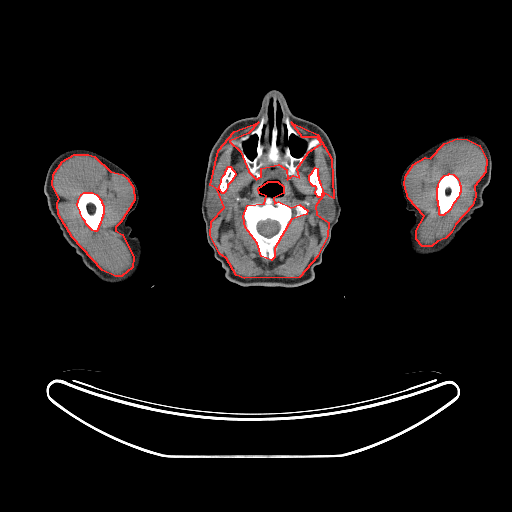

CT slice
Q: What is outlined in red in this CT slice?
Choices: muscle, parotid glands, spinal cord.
A: red: muscle.
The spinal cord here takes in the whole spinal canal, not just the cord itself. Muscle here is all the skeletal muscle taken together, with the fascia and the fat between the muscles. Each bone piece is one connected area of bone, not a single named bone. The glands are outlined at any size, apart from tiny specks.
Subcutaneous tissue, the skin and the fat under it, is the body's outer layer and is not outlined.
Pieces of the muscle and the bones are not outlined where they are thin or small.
The muscle appears in 3 outlined pieces: piece 1: 258 122; 248 133; 229 141; 240 151; 248 171; 256 179; 261 176; 261 168; 278 164; 286 169; 287 179; 293 175; 299 177; 297 168; 308 152; 321 143; 317 137; 302 137; 291 122; 317 134; 331 158; 333 198; 324 193; 315 206; 316 214; 328 222; 327 236; 317 256; 299 277; 244 278; 236 275; 226 258; 219 253; 210 235; 211 221; 224 207; 217 189; 210 185; 218 150; 234 131 with holes at 268 181; 277 181; 283 186; 283 193; 273 198; 274 203; 278 201; 291 207; 299 204; 307 210; 306 214; 291 219; 274 248; 274 257; 271 260; 261 256; 257 243; 245 227; 243 216; 247 205; 264 203; 266 196; 259 193; 258 188 and at 228 166; 230 166; 231 167; 231 168; 234 171; 235 173; 235 175; 232 179; 232 180; 227 185; 227 187; 225 191; 223 193; 222 193; 219 189; 219 186; 221 182; 221 179; 223 175; 225 173; 225 171 and at 315 167; 317 168; 317 175; 318 176; 318 179; 319 180; 319 182; 320 183; 320 185; 322 189; 322 193; 321 194; 321 196; 319 197; 318 197; 315 193; 316 187; 315 186; 313 186; 311 184; 309 180; 309 175; 312 172; 312 171; piece 2: 74 154; 88 154; 94 156; 110 171; 122 174; 127 178; 133 187; 134 200; 120 222; 115 227; 115 230; 122 234; 133 257; 132 267; 121 276; 115 276; 102 270; 72 237; 58 214; 57 203; 59 198; 52 185; 53 174; 62 161 with a hole at 84 192; 92 192; 96 194; 101 200; 101 202; 103 205; 103 214; 102 215; 102 217; 101 218; 100 223; 98 226; 98 228; 96 231; 94 231; 92 230; 86 224; 85 221; 83 219; 80 213; 80 211; 77 205; 78 200; 81 194; piece 3: 457 138; 467 139; 479 145; 486 159; 485 172; 474 186; 475 196; 472 205; 455 224; 451 232; 445 238; 437 241; 431 246; 422 246; 416 239; 416 230; 424 216; 408 198; 404 184; 405 176; 413 164; 425 157; 430 158; 444 143; inner edge: 449 173; 453 174; 457 178; 459 182; 459 184; 460 185; 460 192; 459 193; 458 197; 453 203; 449 210; 443 215; 440 215; 439 214; 439 207; 438 206; 438 201; 437 200; 437 187; 438 186; 438 184; 441 178; 444 175; 448 174. The spinal cord is outlined by 267 219; 269 219; 270 220; 274 220; 278 222; 279 224; 279 229; 277 231; 277 232; 269 237; 268 236; 265 236; 261 234; 259 232; 257 228; 257 224; 258 222; 260 221; 263 221. The left arm is outlined by 461 132; 471 133; 480 137; 485 143; 491 157; 491 178; 482 195; 484 204; 474 212; 471 219; 445 249; 428 256; 417 255; 409 246; 409 228; 414 221; 414 214; 405 207; 406 202; 400 184; 401 175; 406 166; 424 150; 446 136. The right arm is outlined by 73 148; 85 148; 101 154; 127 172; 137 186; 138 203; 128 216; 126 223; 132 229; 131 235; 138 237; 140 240; 141 261; 135 276; 126 283; 115 284; 103 281; 87 268; 74 249; 64 239; 49 211; 43 190; 48 167; 59 154. The parotid glands appear in 2 outlined pieces: piece 1: 211 185; 212 185; 216 189; 217 193; 221 198; 221 201; 223 204; 223 207; 221 211; 220 211; 219 213; 217 214; 217 215; 214 216; 211 219; 210 219; 208 216; 208 213; 207 212; 207 208; 206 207; 206 200; 208 196; 209 187; piece 2: 324 194; 329 198; 331 199; 333 199; 334 200; 334 203; 335 204; 335 214; 334 215; 334 217; 331 220; 331 221; 329 222; 328 221; 326 221; 324 219; 320 217; 317 214; 316 212; 316 206; 317 204; 322 199. The head and neck is outlined by 271 89; 277 89; 283 94; 294 115; 313 122; 324 130; 336 155; 340 216; 331 230; 321 263; 314 267; 315 277; 296 287; 241 286; 226 279; 220 262; 214 257; 207 242; 201 212; 204 180; 212 146; 228 125; 255 116; 264 94 with holes at 268 181; 277 181; 279 182; 283 186; 283 193; 281 195; 279 195; 278 196; 275 196; 274 197; 272 197; 271 196; 266 196; 265 195; 262 195; 260 193; 259 193; 258 191; 258 188; 262 184; 263 184; 264 182; 267 182 and at 292 135; 293 135; 302 140; 304 140; 306 143; 306 146; 305 147; 305 150; 303 152; 303 153; 301 155; 300 155; 299 156; 294 156; 292 154; 292 153; 291 152; 291 149; 290 148; 290 144; 289 143; 289 142; 290 141; 290 138 and at 255 135; 257 137; 257 140; 256 141; 256 147; 255 148; 255 155; 254 156; 254 157; 253 157; 251 159; 246 154; 246 153; 244 151; 244 148; 243 147; 243 142; 244 142; 245 141; 247 141; 252 136; 254 136 and at 270 100; 272 100; 272 111; 273 112; 273 121; 272 122; 272 125; 271 126; 270 125; 270 124; 269 123; 269 118; 268 117; 268 106; 269 105; 269 102; 270 101 and at 278 103; 280 105; 280 109; 281 110; 281 113; 282 114; 282 115; 281 116; 281 119; 280 120; 280 123; 279 124; 279 125; 277 125; 277 119; 276 118; 276 117; 277 116; 277 104. The bones appear in 6 outlined pieces: piece 1: 273 98; 283 105; 291 126; 302 138; 317 138; 320 141; 296 168; 299 176; 293 174; 287 178; 287 169; 278 163; 261 167; 258 170; 260 176; 256 178; 249 171; 241 151; 230 143; 255 129; 267 108; 268 123; 271 127; 273 125; inner edges: 292 135; 293 135; 302 140; 304 140; 306 143; 306 146; 305 147; 305 150; 303 152; 303 153; 301 155; 300 155; 299 156; 294 156; 292 154; 292 153; 291 152; 291 149; 290 148; 290 144; 289 143; 289 142; 290 141; 290 138, then 255 135; 257 137; 257 140; 256 141; 256 147; 255 148; 255 155; 254 156; 254 157; 253 157; 251 159; 246 154; 246 153; 244 151; 244 148; 243 147; 243 142; 244 142; 245 141; 247 141; 252 136; 254 136, then 278 103; 280 105; 280 109; 281 110; 281 113; 282 114; 282 115; 281 116; 281 119; 280 120; 280 123; 279 124; 279 125; 277 125; 277 119; 276 118; 276 117; 277 116; 277 104; piece 2: 265 197; 273 198; 274 203; 278 201; 291 207; 299 204; 304 206; 307 210; 306 214; 291 219; 287 229; 274 248; 274 257; 271 260; 261 256; 257 243; 245 227; 243 216; 243 210; 247 205; 255 202; 262 205; 265 201; inner edge: 267 219; 269 219; 270 220; 274 220; 278 222; 279 224; 279 229; 277 231; 277 232; 269 237; 268 236; 265 236; 261 234; 259 232; 257 228; 257 224; 258 222; 260 221; 263 221; piece 3: 84 192; 92 192; 96 194; 101 200; 101 202; 103 205; 103 214; 102 215; 102 217; 101 218; 100 223; 98 226; 98 228; 96 231; 94 231; 92 230; 86 224; 85 221; 83 219; 80 213; 80 211; 77 205; 78 200; 81 194; piece 4: 449 173; 453 174; 457 178; 459 182; 459 184; 460 185; 460 192; 459 193; 458 197; 453 203; 449 210; 443 215; 440 215; 439 214; 439 207; 438 206; 438 201; 437 200; 437 187; 438 186; 438 184; 441 178; 444 175; 448 174; piece 5: 228 166; 230 166; 231 167; 231 168; 234 171; 235 173; 235 175; 232 179; 232 180; 227 185; 227 187; 225 191; 223 193; 222 193; 219 189; 219 186; 221 182; 221 179; 223 175; 225 173; 225 171; piece 6: 315 167; 317 168; 317 175; 318 176; 318 179; 319 180; 319 182; 320 183; 320 185; 322 189; 322 193; 321 194; 321 196; 319 197; 318 197; 315 193; 316 187; 315 186; 313 186; 311 184; 309 180; 309 175; 312 172; 312 171.